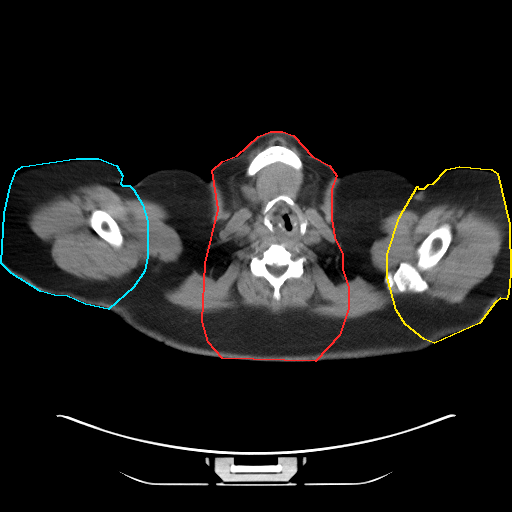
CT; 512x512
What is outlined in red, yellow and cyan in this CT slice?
red: head and neck; yellow: left arm; cyan: right arm.
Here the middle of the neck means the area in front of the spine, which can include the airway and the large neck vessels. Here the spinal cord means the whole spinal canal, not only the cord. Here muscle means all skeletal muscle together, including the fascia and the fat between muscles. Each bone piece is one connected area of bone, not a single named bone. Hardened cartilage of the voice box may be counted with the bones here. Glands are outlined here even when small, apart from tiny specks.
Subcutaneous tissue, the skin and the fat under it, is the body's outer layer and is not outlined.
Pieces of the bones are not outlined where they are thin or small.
{"head_and_neck":[[[270,131],[282,131],[293,135],[312,156],[329,165],[336,175],[331,189],[331,218],[334,237],[342,254],[342,269],[348,287],[348,308],[339,335],[315,361],[222,358],[208,342],[202,321],[205,263],[218,209],[212,170],[222,161],[237,155],[258,136]]],"left_arm":[[[459,166],[491,169],[497,173],[509,224],[510,273],[508,293],[506,299],[500,298],[495,302],[479,323],[434,343],[424,339],[405,324],[396,310],[387,277],[387,254],[399,217],[417,186],[418,188],[424,188],[428,184],[433,183],[446,169]]],"right_arm":[[[76,158],[98,158],[116,165],[122,175],[120,183],[122,185],[129,185],[133,189],[142,204],[147,221],[147,256],[144,271],[133,287],[108,309],[85,304],[67,296],[54,295],[40,291],[11,273],[1,263],[4,213],[10,186],[16,170],[22,166]]],"submandibular_glands":[[[244,184],[247,184],[248,185],[250,185],[255,188],[255,190],[256,191],[256,193],[257,194],[257,200],[256,201],[253,202],[252,201],[251,201],[249,199],[247,199],[245,197],[244,197],[244,196],[243,195],[243,193],[242,192],[242,187],[244,185]]],"torso":[[[172,167],[191,170],[206,180],[209,180],[211,177],[214,184],[217,197],[217,209],[204,263],[201,321],[207,342],[219,357],[193,354],[174,349],[140,333],[108,310],[127,294],[140,280],[147,264],[148,221],[143,204],[130,185],[136,183],[150,172]],[[369,168],[383,168],[399,172],[416,185],[402,208],[391,237],[386,254],[386,277],[391,300],[403,323],[424,340],[434,344],[413,352],[316,361],[340,335],[347,320],[349,308],[349,287],[343,269],[343,254],[335,237],[333,226],[333,184],[337,176]]],"spinal_cord":[[[272,265],[275,265],[276,266],[286,266],[286,268],[285,269],[285,270],[280,275],[278,275],[277,276],[276,276],[275,275],[274,275],[272,273],[271,273],[268,270],[268,269],[267,268],[267,266],[271,266]]],"muscle":[{"outer":[[274,136],[292,142],[319,175],[317,207],[339,236],[341,265],[349,274],[369,266],[368,250],[380,220],[396,210],[449,203],[494,216],[504,232],[494,267],[459,303],[404,295],[350,319],[242,305],[195,314],[166,300],[141,269],[108,280],[66,272],[54,262],[50,244],[28,224],[37,205],[99,183],[124,198],[163,205],[170,214],[167,222],[185,244],[181,260],[195,265],[230,220],[228,178],[252,149]],"holes":[[[443,224],[449,225],[452,238],[445,253],[437,263],[431,268],[420,272],[428,285],[427,289],[422,292],[399,292],[395,287],[388,290],[383,280],[385,274],[388,271],[393,273],[401,262],[409,262],[414,265],[417,261],[416,249],[418,246],[430,232]],[[279,195],[286,195],[291,198],[295,204],[294,210],[307,221],[307,225],[310,228],[315,228],[317,230],[319,234],[319,239],[316,242],[309,244],[300,244],[294,241],[275,241],[264,236],[259,236],[257,234],[256,227],[264,215],[263,210],[266,204]],[[271,243],[283,243],[291,252],[294,252],[296,247],[299,250],[297,255],[306,259],[303,263],[301,276],[291,277],[284,281],[279,289],[280,298],[278,300],[274,299],[273,287],[269,282],[262,276],[254,276],[249,265],[255,250],[257,248],[259,254]],[[272,145],[281,145],[282,146],[285,146],[294,151],[301,160],[302,162],[302,167],[300,169],[296,169],[292,166],[281,161],[275,161],[262,167],[253,175],[251,175],[250,176],[249,175],[247,175],[246,171],[252,159],[259,152],[268,146],[271,146]],[[96,209],[104,210],[106,212],[107,212],[116,221],[116,222],[118,224],[120,228],[121,233],[123,236],[123,243],[120,247],[118,247],[117,248],[116,247],[112,246],[108,242],[107,242],[104,239],[99,236],[90,226],[89,224],[89,217],[92,211]],[[244,184],[247,184],[248,185],[250,185],[255,188],[255,190],[256,191],[256,193],[257,194],[257,200],[256,201],[253,202],[252,201],[251,201],[249,199],[247,199],[245,197],[244,197],[244,196],[243,195],[243,193],[242,192],[242,187],[244,185]]]}],"bones":[[[443,224],[449,225],[452,238],[445,253],[437,263],[431,268],[420,272],[428,285],[427,289],[422,292],[399,292],[395,287],[388,290],[383,280],[385,274],[388,271],[393,273],[401,262],[409,262],[414,265],[417,261],[416,249],[418,246],[430,232]],{"outer":[[271,243],[283,243],[291,252],[294,252],[296,247],[299,250],[297,255],[306,259],[303,263],[301,276],[291,277],[284,281],[279,289],[280,298],[278,300],[274,299],[273,287],[269,282],[262,276],[254,276],[249,265],[255,250],[257,248],[259,254]],"hole":[[272,265],[275,265],[276,266],[286,266],[286,268],[285,269],[285,270],[280,275],[278,275],[277,276],[276,276],[275,275],[274,275],[272,273],[271,273],[268,270],[268,269],[267,268],[267,266],[271,266]]},[[272,145],[281,145],[282,146],[285,146],[294,151],[301,160],[302,162],[302,167],[300,169],[296,169],[292,166],[281,161],[275,161],[262,167],[253,175],[251,175],[250,176],[249,175],[247,175],[246,171],[252,159],[259,152],[268,146],[271,146]],[[96,209],[104,210],[106,212],[107,212],[116,221],[116,222],[118,224],[120,228],[121,233],[123,236],[123,243],[120,247],[118,247],[117,248],[116,247],[112,246],[108,242],[107,242],[104,239],[99,236],[90,226],[89,224],[89,217],[92,211]],[[279,195],[286,195],[291,198],[295,204],[295,209],[293,209],[293,208],[291,207],[289,204],[283,200],[277,201],[267,212],[268,219],[273,228],[273,230],[271,231],[263,222],[263,219],[264,218],[263,210],[266,206],[266,204],[270,200]],[[298,213],[299,213],[301,215],[301,216],[304,219],[305,219],[307,221],[307,225],[306,226],[306,230],[305,231],[305,233],[303,235],[302,235],[301,234],[301,233],[300,232],[300,219],[299,218],[299,217],[298,216]]],"middle_of_the_neck":[[[280,201],[285,202],[297,213],[299,219],[299,232],[302,236],[306,233],[307,226],[317,230],[319,239],[316,242],[300,244],[294,241],[275,241],[257,234],[256,227],[263,216],[263,224],[271,232],[274,230],[273,225],[269,219],[268,212],[277,202]]]}